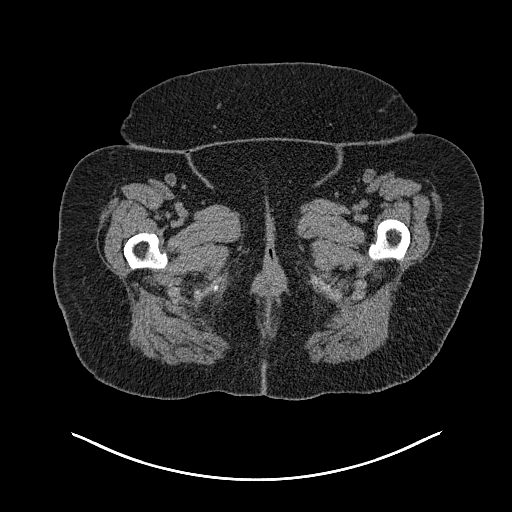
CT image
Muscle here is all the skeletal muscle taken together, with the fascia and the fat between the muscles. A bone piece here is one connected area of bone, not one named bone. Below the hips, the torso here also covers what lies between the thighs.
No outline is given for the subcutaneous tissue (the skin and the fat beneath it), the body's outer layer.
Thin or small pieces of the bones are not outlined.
Outlines (x, y in pixels):
torso: 298 61; 352 67; 375 75; 399 91; 418 123; 415 131; 395 139; 339 144; 335 169; 276 212; 273 252; 284 287; 267 302; 253 291; 266 255; 265 218; 205 181; 186 151; 134 146; 124 142; 119 130; 133 100; 170 77; 231 64
muscle 1: 148 177; 164 182; 184 206; 198 208; 218 203; 241 213; 244 218; 241 262; 218 318; 220 330; 232 347; 224 359; 213 365; 161 363; 142 356; 129 344; 131 314; 126 291; 119 278; 102 261; 96 236; 100 213; 115 186; 145 181 with holes at 139 232; 148 232; 149 233; 154 233; 157 235; 159 240; 159 244; 158 245; 159 249; 161 252; 165 252; 168 258; 167 264; 164 268; 160 268; 159 269; 153 269; 152 268; 132 269; 129 266; 123 253; 123 246; 124 243; 131 236 and at 214 282; 215 283; 216 284; 217 284; 218 285; 218 286; 219 287; 218 288; 218 289; 217 290; 216 290; 215 291; 214 290; 213 290; 212 289; 211 288; 210 287; 211 286; 211 285; 212 284; 213 283
muscle 2: 390 170; 410 170; 431 182; 442 205; 434 245; 421 262; 411 266; 403 274; 391 308; 389 336; 384 345; 357 361; 336 364; 317 362; 305 345; 308 288; 299 266; 295 221; 298 210; 303 203; 314 198; 340 199; 354 191; 368 178, around holes outlined by 387 218; 394 218; 403 222; 407 226; 410 232; 409 245; 406 250; 403 259; 401 260; 397 260; 394 258; 387 258; 382 260; 373 260; 370 258; 368 254; 369 245; 376 240; 377 237; 376 234; 377 227; 379 223; 382 220 and by 311 274; 314 274; 315 275; 316 275; 320 279; 321 279; 326 284; 328 284; 330 286; 330 290; 325 290; 324 289; 322 289; 321 288; 321 286; 319 284; 313 284; 310 281; 310 275
muscle 3: 265 312; 272 312; 279 315; 281 317; 280 318; 280 322; 278 325; 278 328; 277 329; 276 334; 274 336; 274 337; 271 339; 267 339; 265 338; 262 340; 262 342; 262 338; 261 337; 260 330; 257 325; 256 319; 261 315; 262 315
bones 1: 387 218; 394 218; 403 222; 407 226; 410 232; 409 245; 406 250; 403 259; 401 260; 397 260; 394 258; 387 258; 382 260; 373 260; 370 258; 368 254; 369 245; 376 240; 377 237; 376 234; 377 227; 379 223; 382 220
bones 2: 139 232; 148 232; 149 233; 154 233; 157 235; 159 240; 159 244; 158 245; 159 249; 161 252; 165 252; 168 258; 167 264; 164 268; 160 268; 159 269; 153 269; 152 268; 132 269; 129 266; 123 253; 123 246; 124 243; 131 236
bones 3: 311 274; 314 274; 315 275; 316 275; 320 279; 321 279; 326 284; 328 284; 330 286; 330 290; 325 290; 324 289; 322 289; 321 288; 321 286; 319 284; 313 284; 310 281; 310 275
right leg: 124 143; 139 148; 186 152; 192 167; 205 182; 264 218; 265 255; 252 288; 253 293; 267 303; 262 375; 264 395; 237 396; 212 391; 183 399; 143 397; 102 383; 77 357; 53 285; 60 202; 68 177; 82 157; 100 147
left leg: 414 132; 441 136; 461 148; 477 171; 483 193; 479 262; 471 286; 440 350; 415 377; 381 391; 367 394; 325 393; 298 400; 266 396; 263 375; 268 303; 285 287; 285 276; 274 252; 275 215; 336 169; 341 161; 339 145; 390 141